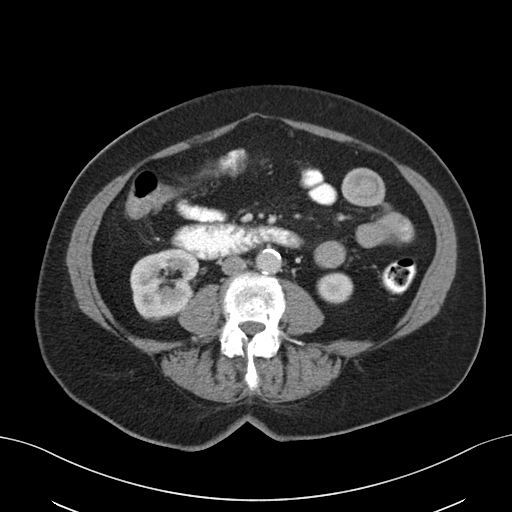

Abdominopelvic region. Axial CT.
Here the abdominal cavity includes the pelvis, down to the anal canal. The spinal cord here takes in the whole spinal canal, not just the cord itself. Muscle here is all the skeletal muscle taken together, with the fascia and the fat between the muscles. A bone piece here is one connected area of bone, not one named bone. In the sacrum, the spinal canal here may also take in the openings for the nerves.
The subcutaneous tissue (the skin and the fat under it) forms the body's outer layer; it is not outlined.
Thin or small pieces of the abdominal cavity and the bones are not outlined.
Outlined structures:
muscle: 252 112; 259 112; 263 114; 276 115; 289 118; 293 120; 309 122; 313 124; 323 126; 350 135; 385 151; 388 154; 394 157; 400 163; 409 166; 421 174; 437 190; 445 202; 445 204; 451 214; 457 239; 457 259; 456 260; 455 276; 446 294; 444 302; 440 308; 439 312; 434 317; 411 333; 401 338; 396 339; 375 350; 362 352; 357 356; 350 359; 347 365; 341 370; 340 374; 331 382; 328 387; 313 397; 309 397; 308 396; 295 401; 279 403; 278 405; 272 404; 267 400; 262 399; 255 394; 252 394; 246 398; 238 401; 228 402; 227 403; 220 403; 200 398; 189 391; 178 386; 162 373; 160 367; 154 363; 154 361; 149 355; 144 352; 142 352; 133 345; 120 340; 115 335; 102 327; 97 322; 94 321; 86 315; 79 308; 77 304; 77 301; 74 296; 67 266; 65 262; 66 251; 71 237; 71 233; 76 220; 89 201; 107 183; 148 155; 157 152; 177 142; 182 141; 193 135; 209 131; 212 129; 230 123; inner edge: 254 117; 386 158; 420 198; 435 249; 404 314; 376 340; 303 339; 325 315; 282 279; 278 325; 303 344; 283 338; 274 356; 255 356; 251 390; 246 357; 220 351; 219 284; 177 316; 201 337; 138 336; 104 302; 92 252; 136 170
torso: 273 82; 311 86; 363 102; 411 129; 443 160; 468 201; 480 239; 485 324; 478 353; 463 381; 445 398; 351 432; 278 441; 245 422; 219 442; 195 451; 141 440; 72 400; 40 356; 34 296; 54 218; 81 169; 129 128; 211 91
abdominal cavity: 254 117; 379 154; 420 198; 435 234; 433 257; 404 314; 376 340; 303 339; 325 319; 315 300; 294 281; 281 284; 252 270; 225 281; 220 304; 219 284; 200 287; 177 316; 191 334; 183 339; 130 333; 104 302; 93 244; 132 174
spinal cord: 247 321; 252 321; 253 322; 260 323; 263 325; 263 328; 260 331; 258 331; 257 332; 256 332; 253 335; 252 335; 251 336; 249 336; 248 335; 247 335; 242 330; 242 329; 240 327; 240 324; 241 324; 244 322; 246 322
bones: 246 271; 279 280; 285 296; 285 309; 278 325; 289 337; 303 342; 299 345; 283 338; 274 356; 255 356; 253 362; 259 382; 253 390; 249 389; 244 378; 246 357; 226 356; 220 351; 219 340; 219 330; 225 322; 222 287; 231 276, around a hole outlined by 247 321; 252 321; 253 322; 260 323; 263 325; 263 328; 260 331; 258 331; 257 332; 256 332; 253 335; 252 335; 251 336; 249 336; 248 335; 247 335; 242 330; 242 329; 240 327; 240 324; 241 324; 244 322; 246 322